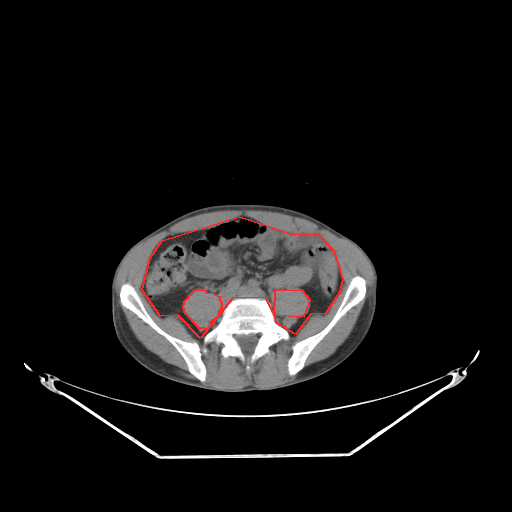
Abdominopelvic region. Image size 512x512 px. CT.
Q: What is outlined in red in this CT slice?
A: red: abdominal cavity.
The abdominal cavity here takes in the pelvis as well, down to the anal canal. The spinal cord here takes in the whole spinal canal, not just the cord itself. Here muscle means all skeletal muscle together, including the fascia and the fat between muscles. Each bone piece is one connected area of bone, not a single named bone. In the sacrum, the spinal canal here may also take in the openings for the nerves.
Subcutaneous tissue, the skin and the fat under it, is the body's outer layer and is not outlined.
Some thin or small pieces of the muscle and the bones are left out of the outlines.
Outlined structures:
abdominal cavity: 239 216; 290 233; 318 234; 333 250; 342 279; 339 292; 325 313; 310 314; 295 334; 277 323; 274 314; 304 316; 310 300; 302 290; 274 291; 273 312; 265 297; 232 298; 200 338; 178 315; 160 316; 142 290; 150 257; 162 240, around a hole outlined by 197 289; 202 289; 205 290; 206 292; 213 293; 219 296; 219 299; 221 302; 221 309; 220 309; 218 312; 218 316; 209 322; 209 327; 207 329; 204 328; 200 328; 199 329; 199 328; 184 312; 184 309; 183 308; 184 301; 194 290
muscle 1: 224 210; 278 212; 308 220; 319 228; 351 243; 365 257; 373 273; 371 294; 365 301; 349 336; 331 355; 304 367; 315 347; 349 310; 365 298; 366 280; 359 274; 352 276; 328 323; 319 331; 292 344; 286 369; 291 377; 299 373; 293 380; 280 385; 270 387; 247 385; 237 389; 222 389; 201 383; 207 379; 207 368; 202 358; 202 355; 208 351; 207 347; 201 346; 195 340; 189 341; 174 336; 159 326; 147 311; 134 286; 128 281; 119 288; 120 304; 174 347; 183 359; 188 372; 196 379; 185 377; 176 372; 176 367; 165 362; 142 345; 130 329; 117 304; 115 290; 117 274; 125 259; 138 245; 182 220; 204 213 with a hole at 239 216; 251 217; 290 233; 318 234; 333 250; 342 279; 339 292; 325 313; 310 314; 295 334; 271 345; 269 352; 253 363; 236 356; 223 357; 221 343; 204 344; 203 338; 194 336; 178 315; 160 316; 142 290; 150 257; 162 240
muscle 2: 197 289; 202 289; 205 290; 206 292; 213 293; 219 296; 219 299; 221 302; 221 309; 220 309; 218 312; 218 316; 209 322; 209 327; 207 329; 204 328; 200 328; 199 329; 199 328; 184 312; 184 309; 183 308; 184 301; 194 290
muscle 3: 288 289; 294 289; 295 290; 302 291; 307 296; 309 300; 309 308; 307 312; 301 317; 284 317; 281 315; 279 315; 278 314; 276 314; 274 313; 274 307; 273 306; 273 302; 272 301; 272 294; 276 291; 279 291; 280 290; 287 290
torso: 235 203; 277 205; 306 213; 356 242; 373 262; 378 285; 372 325; 358 349; 332 370; 310 380; 279 389; 245 392; 212 391; 178 383; 152 373; 136 362; 118 341; 112 322; 110 289; 115 268; 126 251; 150 232; 186 212; 211 205
spinal cord: 251 334; 253 334; 254 335; 258 335; 258 337; 257 338; 257 342; 256 343; 256 344; 255 345; 252 352; 251 353; 248 354; 247 353; 245 353; 242 350; 241 347; 239 345; 239 344; 237 341; 236 336; 239 336; 240 335; 250 335
bones 1: 247 296; 267 299; 271 304; 275 322; 287 330; 290 335; 289 339; 282 339; 271 345; 269 352; 253 363; 248 359; 242 361; 236 356; 223 357; 221 343; 213 341; 204 344; 203 342; 203 337; 219 322; 227 304; 232 299 with a hole at 251 334; 253 334; 254 335; 258 335; 258 337; 257 338; 257 342; 256 343; 256 344; 255 345; 252 352; 251 353; 248 354; 247 353; 245 353; 242 350; 241 347; 239 345; 239 344; 237 341; 236 336; 239 336; 240 335; 250 335
bones 2: 126 282; 133 286; 146 311; 159 327; 174 337; 189 342; 195 341; 201 347; 206 347; 207 351; 201 355; 202 361; 206 368; 206 379; 204 382; 198 380; 189 372; 188 367; 180 353; 164 336; 121 304; 119 297; 120 288
bones 3: 356 275; 361 276; 365 280; 366 291; 364 298; 349 309; 314 347; 306 358; 303 368; 296 374; 291 376; 289 375; 287 369; 287 362; 292 354; 293 344; 295 342; 300 341; 319 332; 329 323; 337 311; 343 299; 350 280; 352 277